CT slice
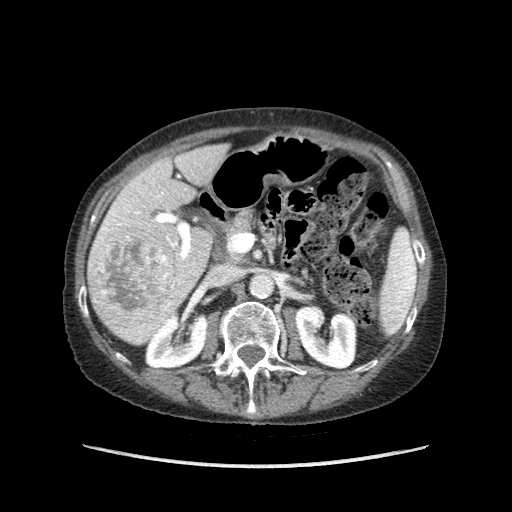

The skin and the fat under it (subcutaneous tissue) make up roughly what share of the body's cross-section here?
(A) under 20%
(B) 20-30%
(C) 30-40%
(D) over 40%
(A) under 20%
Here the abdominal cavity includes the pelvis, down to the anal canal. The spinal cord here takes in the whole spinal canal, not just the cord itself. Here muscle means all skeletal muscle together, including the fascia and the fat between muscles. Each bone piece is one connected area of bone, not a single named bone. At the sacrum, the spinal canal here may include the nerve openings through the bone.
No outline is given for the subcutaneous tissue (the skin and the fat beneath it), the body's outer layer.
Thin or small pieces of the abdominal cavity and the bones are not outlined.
Outlined structures:
torso: [[259,106],[307,107],[347,117],[389,140],[419,177],[446,259],[445,322],[439,351],[427,374],[409,393],[389,405],[305,425],[190,420],[146,410],[108,393],[89,381],[73,359],[62,317],[63,259],[69,228],[87,187],[126,149],[170,122],[213,110]]
abdominal cavity: [[274,130],[319,138],[379,168],[409,226],[419,266],[405,323],[375,357],[326,369],[298,361],[303,351],[294,307],[282,311],[283,358],[272,309],[244,300],[207,315],[203,361],[137,367],[98,330],[87,302],[86,254],[106,208],[158,157],[231,134]]
muscle: [[265,124],[290,124],[291,125],[302,125],[303,126],[316,127],[348,137],[352,137],[364,141],[372,142],[381,146],[390,153],[402,166],[411,183],[417,202],[418,211],[420,215],[424,235],[431,251],[431,257],[433,265],[431,270],[431,277],[428,288],[428,295],[419,314],[419,322],[417,323],[415,338],[411,342],[409,347],[400,354],[397,359],[390,362],[379,373],[364,390],[360,397],[354,398],[343,404],[334,406],[328,409],[320,410],[314,413],[299,414],[298,415],[286,415],[270,418],[249,418],[237,415],[229,415],[223,413],[213,412],[201,408],[188,407],[172,402],[167,399],[161,398],[158,395],[151,394],[148,390],[137,384],[114,365],[93,343],[88,331],[83,324],[80,317],[80,314],[78,311],[78,308],[74,298],[74,257],[75,256],[76,242],[78,238],[78,234],[86,208],[90,201],[97,190],[106,181],[119,172],[127,163],[134,158],[137,157],[140,154],[157,148],[178,137],[201,130],[215,127],[224,127],[225,126],[239,126],[240,125],[251,126],[252,125],[264,125]], around holes outlined by [[274,130],[319,138],[375,164],[425,260],[418,269],[417,314],[410,330],[405,333],[404,323],[366,371],[299,362],[296,309],[284,307],[284,359],[307,372],[272,371],[268,379],[259,372],[253,382],[256,411],[249,413],[245,375],[218,376],[206,365],[224,348],[219,309],[207,315],[203,361],[173,369],[137,367],[116,358],[117,350],[81,312],[78,293],[86,282],[86,254],[96,227],[136,173],[190,145]] and by [[383,158],[385,158],[387,160],[390,161],[400,174],[400,177],[406,188],[406,191],[409,199],[409,209],[407,211],[405,211],[400,205],[400,202],[398,199],[398,197],[396,194],[396,192],[394,188],[394,184],[393,183],[392,177],[387,166],[383,160]] and by [[106,192],[107,192],[107,193],[104,197],[104,199],[101,202],[97,210],[97,213],[96,214],[95,219],[93,222],[93,224],[92,226],[90,227],[89,226],[89,221],[90,220],[90,217],[95,207],[97,205],[99,200]]
bones 1: [[244,301],[257,301],[271,309],[278,324],[280,357],[307,371],[303,375],[292,371],[272,371],[268,379],[259,372],[253,382],[254,413],[246,411],[249,386],[245,375],[241,372],[232,379],[218,376],[206,365],[223,352],[219,327],[222,315],[231,306]]; inner edge: [[247,345],[250,345],[251,346],[253,345],[256,345],[262,348],[264,350],[264,352],[265,353],[263,357],[261,358],[257,362],[256,362],[252,366],[248,366],[246,364],[246,363],[240,357],[239,357],[238,355],[238,350],[240,348],[244,346],[246,346]]
bones 2: [[383,158],[385,158],[387,160],[390,161],[400,174],[400,177],[406,188],[406,191],[409,199],[409,209],[407,211],[405,211],[400,205],[400,202],[398,199],[398,197],[396,194],[396,192],[394,188],[394,184],[393,183],[392,177],[387,166],[383,160]]
bones 3: [[82,284],[84,284],[85,285],[85,288],[86,289],[86,302],[87,303],[87,307],[88,308],[88,311],[89,312],[89,315],[90,316],[89,318],[86,318],[83,315],[78,305],[78,293],[79,292],[79,289]]
bones 4: [[374,358],[377,358],[378,359],[378,363],[373,367],[372,367],[371,368],[370,368],[368,370],[367,370],[366,371],[364,371],[363,372],[352,372],[353,369],[354,369],[356,367],[357,367],[362,364],[364,364],[366,362],[367,362],[368,361],[369,361]]
bones 5: [[106,192],[107,192],[107,193],[104,197],[104,199],[101,202],[97,210],[97,213],[96,214],[95,219],[93,222],[93,224],[92,226],[90,227],[89,226],[89,221],[90,220],[90,217],[95,207],[97,205],[99,200]]
spinal cord: [[247,345],[250,345],[251,346],[253,345],[256,345],[262,348],[264,350],[264,352],[265,353],[263,357],[261,358],[257,362],[256,362],[252,366],[248,366],[246,364],[246,363],[240,357],[239,357],[238,355],[238,350],[240,348],[244,346],[246,346]]